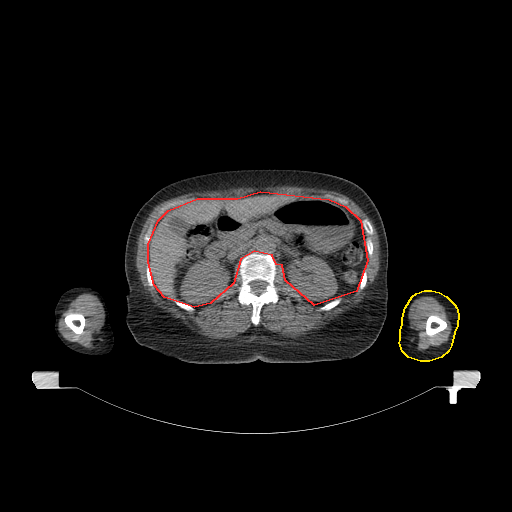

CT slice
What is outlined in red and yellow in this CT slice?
red: abdominal cavity; yellow: left arm.
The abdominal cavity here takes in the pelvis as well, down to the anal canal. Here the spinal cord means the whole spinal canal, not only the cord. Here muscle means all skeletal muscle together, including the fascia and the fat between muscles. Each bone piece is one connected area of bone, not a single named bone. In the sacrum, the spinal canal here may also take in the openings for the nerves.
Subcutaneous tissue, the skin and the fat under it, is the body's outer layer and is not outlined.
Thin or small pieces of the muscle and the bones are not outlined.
The abdominal cavity is outlined by 260,191 329,199 345,206 360,220 367,260 356,291 314,305 285,280 282,265 276,264 272,255 254,251 240,259 233,283 210,303 194,307 164,297 154,285 148,262 148,244 158,220 168,210 197,198 237,198. The left arm is outlined by 424,290 431,290 439,292 446,296 454,304 456,307 458,314 457,325 454,332 451,345 448,351 441,357 429,361 420,361 408,357 402,351 399,342 400,340 400,330 402,324 402,318 405,307 412,296 416,293. The muscle appears in 3 outlined pieces: piece 1: 270,186 336,191 353,200 367,214 376,228 380,251 378,273 367,290 367,296 356,307 338,315 321,328 295,339 279,336 258,325 262,307 269,303 275,304 279,299 274,281 278,263 283,269 284,280 297,289 306,302 319,306 316,310 322,312 337,306 342,300 341,297 348,298 358,288 365,288 368,275 364,268 368,255 370,257 374,252 372,239 366,236 374,233 373,225 367,218 361,220 355,216 344,205 347,203 345,199 339,197 336,201 313,195 296,196 260,190 237,197 197,197 188,201 180,199 170,202 158,210 159,214 167,211 143,235 143,242 147,245 148,263 145,266 145,276 148,286 155,286 164,298 171,298 181,309 193,312 195,308 210,304 220,292 233,284 235,270 238,268 241,282 237,288 237,300 241,305 251,305 250,321 253,325 233,339 210,339 154,305 144,290 135,263 137,239 153,208 162,201 191,192; piece 2: 82,293 91,293 95,295 100,301 104,310 104,323 101,328 101,333 99,335 100,339 97,341 94,348 87,348 76,342 69,341 65,339 59,331 58,324 62,312 68,307 69,303 73,299; inner edge: 68,313 80,313 81,314 82,314 84,316 84,317 85,318 85,324 84,325 84,327 83,328 83,331 82,332 82,333 81,333 80,334 76,334 69,327 68,327 66,325 64,319 65,318 65,316; piece 3: 422,296 432,296 434,297 445,308 447,316 451,324 451,330 448,339 446,342 442,343 437,346 431,346 424,350 418,350 416,348 416,344 412,341 412,337 414,331 412,330 409,326 408,314 411,304 417,298, around a hole outlined by 430,315 438,315 442,319 443,319 446,322 446,327 443,330 442,330 441,331 440,331 439,332 438,332 431,336 429,336 427,334 426,334 426,333 425,332 425,328 426,327 426,320 427,319 427,318. The bones appear in 11 outlined pieces: piece 1: 254,252 268,254 272,256 276,265 276,273 273,281 278,293 278,299 275,303 269,302 261,307 260,320 257,325 254,325 251,321 253,308 252,305 241,304 238,300 238,288 242,282 239,265 241,259 245,255, around a hole outlined by 254,280 262,280 263,281 265,281 266,282 266,286 265,287 265,288 264,289 264,290 261,293 260,293 259,294 256,294 255,293 254,293 252,291 252,290 251,289 251,287 250,286 250,282 251,282; piece 2: 68,313 80,313 81,314 82,314 84,316 84,317 85,318 85,324 84,325 84,327 83,328 83,331 82,332 82,333 81,333 80,334 76,334 69,327 68,327 66,325 64,319 65,318 65,316; piece 3: 430,315 438,315 442,319 443,319 446,322 446,327 443,330 442,330 441,331 440,331 439,332 438,332 431,336 429,336 427,334 426,334 426,333 425,332 425,328 426,327 426,320 427,319 427,318; piece 4: 338,297 340,297 341,298 341,300 340,301 340,302 337,305 336,305 331,309 329,309 328,310 323,310 322,311 319,311 318,310 317,310 317,309 318,309 319,308 319,307 324,305 326,303 327,303; piece 5: 363,219 367,219 370,222 370,223 372,225 372,227 373,228 373,233 372,234 371,234 370,235 368,235 365,232 365,231 364,230 364,229 363,228 363,227 362,226 362,224 361,223 361,221; piece 6: 173,299 177,299 178,300 179,300 182,302 184,302 185,303 186,303 187,304 188,304 189,305 192,306 194,308 194,310 193,311 188,311 185,309 183,309 182,308 181,308 179,306 178,306 174,302; piece 7: 147,264 149,264 150,265 150,267 151,268 151,276 152,277 152,280 153,281 153,286 150,286 149,285 148,285 148,282 147,281 147,277 146,276 146,266 147,265; piece 8: 366,237 369,237 371,239 371,241 372,242 372,243 373,244 373,252 372,253 372,255 371,255 370,256 368,254 368,252 367,251 367,249 366,248 366,243 365,242 365,240 366,239; piece 9: 363,270 365,270 366,271 366,274 367,275 367,281 366,282 366,284 365,285 365,286 364,287 364,288 363,289 359,289 359,285 360,284 360,279 361,278 361,275 362,274 362,272 363,271; piece 10: 180,200 187,200 187,201 186,201 185,202 183,202 182,203 178,203 173,206 170,206 167,209 166,209 162,213 159,213 159,210 163,206 165,206 170,203 172,203 173,202 176,202 177,201 179,201; piece 11: 150,227 151,227 152,228 151,229 151,238 150,239 150,240 149,241 149,242 147,244 146,244 144,242 144,235 146,233 146,232 149,229 149,228. The spinal cord is outlined by 254,280 262,280 263,281 265,281 266,282 266,286 265,287 265,288 264,289 264,290 261,293 260,293 259,294 256,294 255,293 254,293 252,291 252,290 251,289 251,287 250,286 250,282 251,282. The torso is outlined by 243,168 294,168 329,173 356,183 372,199 381,215 388,243 388,309 377,339 365,351 348,359 303,363 259,359 245,363 192,363 168,357 135,341 125,321 128,285 124,273 125,243 135,214 169,183 198,174. The right arm is outlined by 78,286 91,287 97,290 102,295 104,299 105,304 109,312 109,323 114,337 113,347 107,353 101,355 88,355 76,352 68,348 62,343 56,334 54,329 54,321 55,320 54,309 55,306 60,296 66,290.